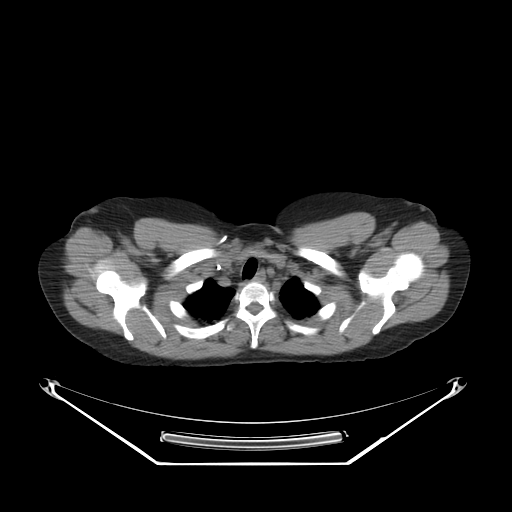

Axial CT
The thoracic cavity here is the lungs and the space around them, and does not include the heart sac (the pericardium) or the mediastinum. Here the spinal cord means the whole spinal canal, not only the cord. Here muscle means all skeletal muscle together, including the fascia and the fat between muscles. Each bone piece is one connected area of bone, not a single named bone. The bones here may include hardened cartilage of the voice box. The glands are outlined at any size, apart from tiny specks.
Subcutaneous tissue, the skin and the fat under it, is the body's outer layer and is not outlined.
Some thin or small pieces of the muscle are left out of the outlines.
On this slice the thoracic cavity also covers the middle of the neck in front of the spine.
{"torso":[[[320,191],[407,199],[396,213],[390,240],[396,272],[422,292],[463,294],[441,327],[387,357],[128,365],[71,335],[41,290],[37,270],[54,280],[76,281],[109,265],[112,239],[101,221],[84,210],[104,199],[176,196],[230,222],[272,224],[284,205]]],"right_arm":[[[83,210],[91,213],[100,221],[111,239],[111,242],[112,243],[112,255],[108,265],[101,272],[97,274],[76,280],[58,280],[57,279],[54,279],[39,271],[37,269],[37,263],[42,250],[45,246],[50,242],[62,236],[69,229],[73,218],[78,213]]],"thoracic_cavity":[[[250,253],[281,262],[285,273],[296,276],[303,287],[316,297],[320,307],[312,315],[297,319],[281,305],[272,289],[251,279],[235,290],[221,318],[206,323],[191,315],[183,305],[188,295],[199,290],[208,277],[216,275],[218,264],[236,260],[240,263]]],"thyroid_glands":[[[242,254],[243,254],[244,254],[245,254],[246,254],[246,255],[246,256],[245,257],[245,258],[244,259],[243,260],[242,261],[241,261],[240,262],[239,261],[238,261],[238,260],[238,259],[238,258],[238,257],[239,257],[240,256],[241,255]]],"left_arm":[[[407,200],[418,202],[429,207],[440,221],[450,224],[459,229],[467,240],[470,249],[471,261],[470,262],[470,272],[464,293],[457,295],[441,295],[426,292],[412,287],[407,284],[400,277],[393,264],[391,257],[391,240],[396,222],[397,213],[401,206]]],"spinal_cord":[[[253,302],[255,302],[256,303],[258,303],[260,305],[261,305],[261,306],[262,307],[262,308],[257,313],[256,313],[255,314],[253,314],[252,313],[251,313],[247,309],[247,306],[248,306],[251,303],[252,303]]],"bones":[[[402,252],[418,254],[424,264],[424,273],[411,282],[406,289],[398,290],[392,295],[395,311],[383,324],[379,333],[374,335],[372,328],[382,316],[382,301],[379,296],[371,297],[361,291],[358,274],[364,268],[375,277],[383,276],[393,264],[396,256]],[[106,270],[115,270],[123,280],[129,283],[145,280],[146,291],[139,299],[139,303],[146,306],[162,325],[166,334],[165,338],[139,308],[131,308],[125,318],[133,339],[127,340],[124,337],[122,327],[113,316],[112,297],[101,293],[96,288],[97,279]],{"outer":[[251,280],[260,282],[264,284],[270,290],[272,290],[280,304],[277,307],[278,315],[274,318],[267,320],[261,326],[257,337],[258,343],[257,347],[255,349],[252,349],[250,347],[251,332],[249,326],[243,320],[232,316],[232,307],[230,305],[236,290]],"hole":[[253,302],[255,302],[256,303],[258,303],[260,305],[261,305],[261,306],[262,307],[262,308],[257,313],[256,313],[255,314],[253,314],[252,313],[251,313],[247,309],[247,306],[248,306],[251,303],[252,303]]},[[227,316],[229,317],[230,321],[233,324],[233,327],[231,330],[227,330],[224,328],[215,334],[210,335],[201,339],[185,337],[181,335],[173,326],[176,323],[184,326],[193,327],[194,328],[195,327],[203,326],[207,324],[212,324],[216,321]],[[206,247],[212,247],[214,248],[219,253],[218,255],[214,257],[205,258],[200,261],[193,263],[182,269],[176,274],[170,277],[168,277],[168,274],[169,273],[169,266],[175,259],[179,257],[182,254],[190,250],[200,249],[201,248],[205,248]],[[302,246],[303,247],[316,249],[325,252],[328,255],[332,257],[338,263],[339,265],[339,269],[343,272],[343,275],[342,276],[338,276],[332,273],[329,270],[320,266],[318,264],[297,255],[295,253],[295,251],[298,247],[301,247]],[[285,320],[290,320],[295,323],[297,323],[301,325],[305,325],[306,326],[309,326],[310,327],[318,327],[319,328],[319,331],[317,333],[315,334],[313,334],[312,335],[305,335],[301,333],[294,332],[290,330],[286,326],[285,324]],[[170,300],[175,300],[176,301],[178,301],[179,302],[180,302],[185,308],[185,309],[188,312],[188,313],[189,314],[189,318],[188,318],[187,319],[182,319],[181,318],[179,318],[175,315],[174,315],[170,310],[170,308],[169,307],[169,301]],[[332,301],[335,302],[335,303],[336,304],[336,308],[335,309],[335,311],[333,313],[333,314],[330,317],[329,317],[327,319],[325,319],[324,320],[321,320],[317,316],[315,316],[314,315],[314,314],[321,307],[321,306],[322,306],[329,302],[331,302]],[[362,301],[364,301],[365,302],[365,304],[358,311],[356,312],[355,315],[349,322],[349,323],[347,325],[345,329],[341,333],[340,333],[339,332],[339,326],[342,322],[342,321],[344,319],[348,317],[351,314],[352,314],[355,311],[357,306]],[[305,280],[307,280],[309,282],[311,282],[312,283],[313,283],[316,285],[318,285],[321,288],[321,292],[319,294],[319,295],[317,297],[315,295],[314,295],[310,291],[309,291],[307,289],[306,289],[304,287],[304,285],[303,284],[303,282]],[[201,279],[202,279],[203,280],[203,283],[202,284],[201,287],[196,291],[195,291],[190,294],[188,294],[187,293],[187,292],[186,291],[186,289],[185,288],[186,287],[186,285],[187,285],[190,283],[195,282],[196,281],[197,281],[198,280],[200,280]]],"muscle":[{"outer":[[353,211],[372,214],[378,231],[395,221],[396,230],[418,220],[435,226],[450,249],[445,265],[450,289],[434,316],[381,331],[396,311],[393,295],[421,278],[425,264],[418,253],[402,251],[383,275],[361,268],[359,289],[379,297],[382,312],[371,328],[372,339],[349,351],[295,355],[256,349],[262,326],[279,315],[279,306],[297,320],[313,315],[321,321],[337,308],[333,300],[320,304],[318,284],[302,282],[286,273],[281,261],[256,252],[218,263],[215,275],[185,285],[182,303],[168,301],[177,318],[187,320],[190,315],[205,322],[172,325],[181,336],[196,340],[231,331],[233,322],[228,315],[223,317],[230,306],[231,316],[250,332],[251,349],[234,356],[170,359],[131,346],[128,341],[134,335],[126,321],[131,309],[141,310],[163,339],[167,334],[140,303],[146,280],[129,282],[115,269],[103,270],[95,288],[111,297],[112,316],[123,336],[80,324],[63,305],[60,257],[66,240],[81,226],[112,237],[117,230],[131,235],[137,219],[159,217],[210,226],[249,241],[266,236],[281,240],[297,226]],"holes":[[[206,247],[212,247],[214,248],[219,253],[218,255],[214,257],[205,258],[200,261],[193,263],[182,269],[176,274],[170,277],[168,277],[168,274],[169,273],[169,266],[175,259],[179,257],[182,254],[190,250],[200,249],[201,248],[205,248]],[[302,246],[303,247],[316,249],[325,252],[328,255],[332,257],[338,263],[339,265],[339,269],[343,272],[343,275],[342,276],[338,276],[332,273],[329,270],[320,266],[318,264],[297,255],[295,253],[295,251],[298,247],[301,247]],[[285,320],[290,320],[295,323],[297,323],[301,325],[305,325],[306,326],[309,326],[310,327],[318,327],[319,328],[319,331],[317,333],[315,334],[313,334],[312,335],[305,335],[301,333],[294,332],[290,330],[286,326],[285,324]],[[362,301],[364,301],[365,302],[365,304],[358,311],[356,312],[355,315],[349,322],[349,323],[347,325],[345,329],[341,333],[340,333],[339,332],[339,326],[342,322],[342,321],[344,319],[348,317],[351,314],[352,314],[355,311],[357,306]]]}]}